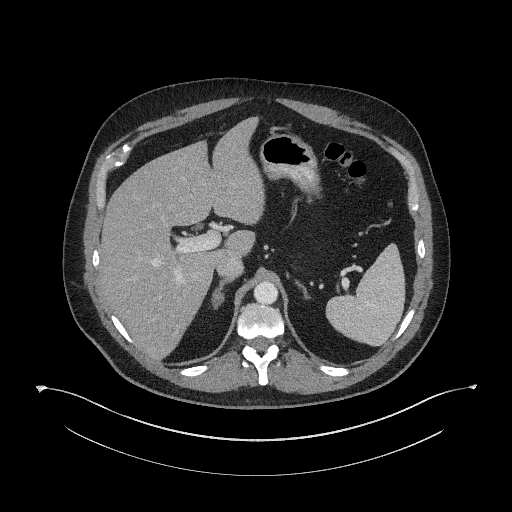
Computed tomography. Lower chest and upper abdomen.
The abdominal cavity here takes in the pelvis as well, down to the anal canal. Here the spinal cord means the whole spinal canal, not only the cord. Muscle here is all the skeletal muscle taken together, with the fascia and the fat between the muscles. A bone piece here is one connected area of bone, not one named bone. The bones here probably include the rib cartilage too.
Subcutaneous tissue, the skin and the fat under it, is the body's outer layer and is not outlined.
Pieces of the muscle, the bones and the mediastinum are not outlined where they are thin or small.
{"muscle":[{"outer":[[298,394],[333,391],[363,380],[394,357],[419,330],[432,288],[433,233],[431,204],[417,161],[393,139],[345,114],[281,97],[259,95],[214,99],[140,124],[105,149],[91,174],[82,229],[84,282],[103,326],[136,361],[180,387],[203,392],[220,393],[261,386],[257,383],[254,366],[249,363],[245,368],[241,364],[243,342],[235,332],[235,325],[220,349],[209,358],[188,365],[164,365],[128,343],[109,318],[111,311],[103,296],[99,265],[95,269],[91,263],[92,251],[99,247],[104,215],[104,208],[99,211],[95,205],[96,177],[104,157],[125,142],[133,147],[152,134],[261,98],[274,100],[317,123],[364,136],[390,154],[387,149],[391,146],[414,167],[420,206],[417,212],[409,209],[409,212],[414,221],[415,249],[417,241],[422,238],[426,255],[421,260],[416,253],[417,269],[408,308],[414,308],[416,312],[409,326],[373,358],[352,366],[333,366],[348,367],[351,372],[347,376],[330,377],[317,369],[323,363],[297,346],[284,321],[285,333],[276,339],[279,355],[268,366],[268,384],[265,386]],"hole":[[185,376],[197,376],[198,375],[199,375],[200,374],[201,374],[202,373],[203,373],[205,371],[206,371],[208,368],[208,366],[207,365],[195,365],[194,366],[191,366],[190,367],[185,367],[184,368],[182,368],[179,371],[179,373],[181,375],[184,375]]}],"torso":[[[228,409],[300,407],[370,393],[403,373],[433,334],[443,313],[449,286],[447,218],[420,135],[408,118],[387,102],[334,86],[241,77],[207,78],[142,93],[111,113],[95,134],[70,200],[63,234],[62,278],[73,319],[113,369],[130,383],[170,399]]],"abdominal_cavity":[[[329,365],[352,365],[373,357],[392,340],[407,311],[416,264],[407,181],[400,164],[364,137],[317,124],[261,99],[139,142],[106,182],[98,249],[104,296],[137,347],[164,364],[209,357],[230,334],[240,299],[272,279],[281,290],[286,323],[296,343]]],"spinal_cord":[[[260,355],[262,355],[265,352],[265,351],[266,350],[266,348],[268,346],[268,342],[266,340],[266,339],[265,339],[262,337],[258,337],[257,338],[256,338],[255,339],[254,339],[252,341],[252,345],[253,346],[253,347],[257,351],[257,352]]],"mediastinum":[[[285,321],[284,310],[283,309],[282,300],[280,295],[280,290],[277,285],[272,280],[266,280],[262,282],[253,289],[250,290],[241,299],[241,311],[241,307],[245,305],[245,304],[248,302],[256,302],[260,304],[271,305],[272,306],[277,307],[280,310]]],"bones":[{"outer":[[262,386],[267,384],[268,364],[277,358],[279,349],[275,339],[284,333],[284,323],[277,308],[248,303],[242,307],[242,311],[237,320],[236,332],[244,342],[241,352],[244,358],[242,364],[247,367],[247,364],[250,362],[255,366],[259,376],[258,383]],"hole":[[260,355],[262,355],[265,352],[265,351],[266,350],[266,348],[268,346],[268,342],[266,340],[266,339],[265,339],[262,337],[258,337],[257,338],[256,338],[255,339],[254,339],[252,341],[252,345],[253,346],[253,347],[257,351],[257,352]]},[[99,210],[103,209],[105,204],[105,181],[107,176],[107,172],[110,169],[118,167],[124,163],[128,154],[132,149],[127,143],[121,145],[116,151],[112,152],[110,154],[107,155],[105,157],[105,160],[100,168],[97,177],[97,182],[96,183],[96,205]],[[413,211],[417,211],[419,206],[418,204],[418,192],[417,191],[417,185],[415,181],[415,177],[414,176],[413,167],[409,161],[404,156],[403,156],[399,152],[393,148],[390,147],[388,150],[401,164],[401,165],[405,169],[408,175],[408,206],[409,208]],[[330,376],[344,376],[345,375],[347,375],[350,372],[350,370],[348,368],[347,368],[346,367],[333,367],[332,366],[328,366],[327,365],[324,365],[323,364],[320,364],[318,366],[318,369],[321,372],[322,372],[325,374],[327,374]],[[185,376],[197,376],[198,375],[199,375],[200,374],[201,374],[202,373],[203,373],[205,371],[206,371],[208,368],[208,366],[207,365],[195,365],[194,366],[191,366],[190,367],[185,367],[184,368],[182,368],[179,371],[179,373],[181,375],[184,375]],[[393,340],[398,338],[403,333],[403,332],[406,329],[406,328],[408,326],[408,325],[409,324],[409,323],[415,312],[414,309],[410,309],[407,312],[407,313],[405,315],[404,318],[402,320],[398,330],[396,332],[395,335],[393,337],[393,338],[392,339]],[[130,343],[133,343],[133,341],[128,335],[127,332],[125,330],[123,326],[120,323],[120,322],[115,316],[113,315],[111,315],[110,316],[110,318],[114,326],[116,328],[116,329],[121,334],[121,335],[128,342]],[[421,259],[422,259],[424,257],[424,256],[425,255],[425,248],[424,247],[424,243],[423,242],[423,240],[422,239],[420,239],[418,241],[418,242],[417,243],[417,245],[416,246],[416,252],[417,253],[417,254],[418,255],[418,256]]]}